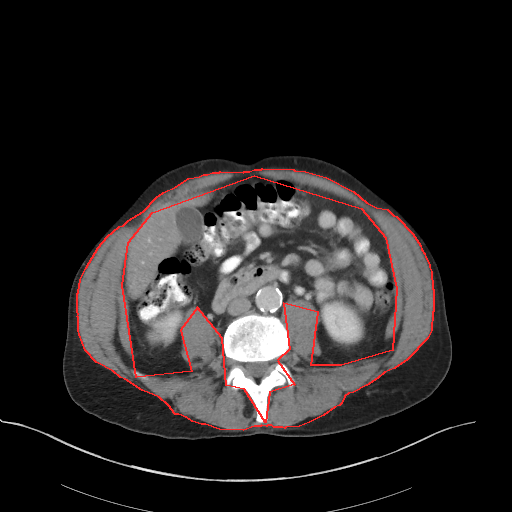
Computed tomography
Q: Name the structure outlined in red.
A: red: muscle.
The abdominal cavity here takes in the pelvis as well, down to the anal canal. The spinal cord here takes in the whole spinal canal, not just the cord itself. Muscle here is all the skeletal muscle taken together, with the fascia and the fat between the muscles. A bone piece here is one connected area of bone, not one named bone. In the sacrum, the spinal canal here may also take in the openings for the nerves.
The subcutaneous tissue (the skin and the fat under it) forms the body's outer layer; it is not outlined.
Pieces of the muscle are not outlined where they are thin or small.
Outlines (x, y in pixels):
muscle: (262, 168) (293, 169) (294, 170) (305, 171) (326, 177) (353, 191) (366, 202) (376, 207) (387, 209) (393, 215) (396, 216) (412, 233) (420, 245) (421, 249) (424, 253) (425, 257) (429, 264) (429, 267) (431, 271) (432, 288) (433, 289) (433, 311) (432, 312) (431, 330) (427, 338) (407, 359) (394, 368) (384, 372) (377, 378) (366, 385) (353, 392) (348, 393) (344, 396) (341, 403) (339, 405) (334, 407) (323, 415) (309, 422) (299, 426) (285, 427) (284, 428) (282, 427) (274, 427) (271, 425) (267, 425) (266, 426) (261, 425) (260, 426) (254, 426) (243, 430) (219, 429) (205, 424) (201, 424) (192, 421) (186, 417) (178, 414) (175, 414) (168, 405) (159, 397) (142, 390) (125, 379) (120, 377) (113, 371) (96, 362) (85, 350) (79, 334) (78, 330) (78, 317) (77, 316) (78, 314) (77, 311) (77, 293) (78, 292) (80, 279) (86, 267) (98, 247) (107, 236) (119, 226) (123, 225) (128, 220) (143, 211) (156, 197) (163, 192) (176, 186) (188, 178) (199, 176) (203, 174) (207, 174) (212, 172) (219, 172) (220, 171) (243, 172) (244, 171) (249, 171) (254, 169) (261, 169), around a hole outlined by (254, 175) (361, 208) (385, 237) (396, 288) (392, 350) (341, 365) (311, 365) (318, 312) (283, 303) (289, 349) (277, 360) (294, 384) (269, 392) (265, 422) (244, 389) (226, 385) (222, 338) (197, 307) (180, 330) (191, 371) (136, 377) (122, 285) (128, 242) (152, 212)
abdominal cavity: (254, 175) (329, 192) (375, 221) (396, 288) (384, 339) (396, 344) (356, 363) (312, 366) (322, 350) (318, 312) (309, 301) (288, 299) (279, 318) (238, 316) (222, 339) (192, 307) (180, 330) (180, 355) (191, 371) (155, 375) (135, 369) (122, 285) (130, 238) (159, 207)
bones 1: (252, 313) (277, 317) (289, 334) (289, 349) (277, 360) (289, 369) (294, 384) (292, 387) (286, 383) (275, 386) (269, 392) (267, 396) (267, 420) (265, 422) (256, 421) (255, 404) (244, 389) (233, 389) (225, 383) (230, 365) (222, 347) (223, 334) (228, 324) (234, 319), around a hole outlined by (247, 362) (267, 362) (269, 364) (269, 372) (267, 374) (266, 374) (265, 375) (264, 375) (262, 377) (261, 377) (258, 379) (255, 379) (252, 377) (250, 377) (249, 376) (247, 376) (245, 374) (245, 373) (243, 370) (243, 367) (242, 366) (242, 363) (246, 363)
bones 2: (134, 369) (135, 370) (137, 370) (138, 371) (139, 371) (140, 372) (141, 372) (142, 373) (143, 373) (145, 375) (146, 375) (146, 378) (145, 379) (143, 379) (142, 380) (141, 379) (140, 379) (139, 378) (138, 378) (137, 377) (136, 377) (132, 373) (132, 370) (133, 370)
spinal cord: (247, 362) (267, 362) (269, 364) (269, 372) (267, 374) (266, 374) (265, 375) (264, 375) (262, 377) (261, 377) (258, 379) (255, 379) (252, 377) (250, 377) (249, 376) (247, 376) (245, 374) (245, 373) (243, 370) (243, 367) (242, 366) (242, 363) (246, 363)
torso: (272, 154) (308, 155) (342, 167) (395, 206) (419, 232) (437, 263) (444, 290) (452, 359) (443, 381) (427, 399) (396, 415) (353, 430) (311, 437) (258, 433) (166, 439) (129, 431) (84, 411) (67, 392) (62, 358) (69, 292) (89, 250) (164, 172) (203, 158) (248, 162)